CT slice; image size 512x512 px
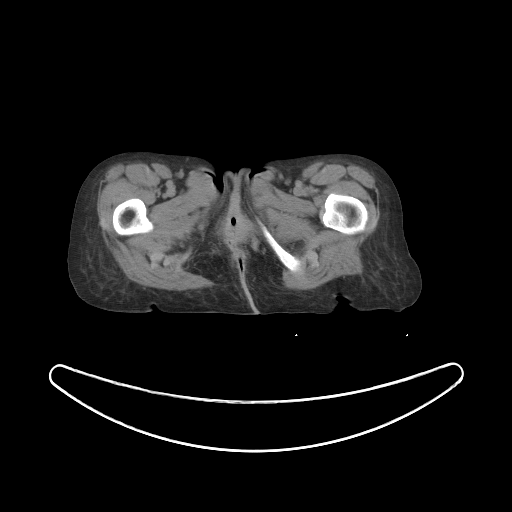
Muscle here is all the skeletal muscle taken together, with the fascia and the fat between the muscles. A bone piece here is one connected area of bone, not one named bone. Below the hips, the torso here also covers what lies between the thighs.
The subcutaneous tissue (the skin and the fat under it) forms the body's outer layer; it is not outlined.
Outlined structures:
torso: [[242,166],[249,166],[251,168],[251,173],[253,174],[258,172],[258,176],[253,192],[252,231],[250,236],[250,242],[241,265],[241,261],[236,254],[234,244],[227,229],[220,188],[222,187],[222,172],[223,170],[224,169],[236,170]]
left leg: [[335,152],[358,154],[375,161],[394,182],[402,205],[404,235],[421,273],[420,295],[411,306],[397,313],[388,309],[358,311],[350,307],[345,298],[339,297],[334,311],[327,314],[258,315],[246,289],[241,266],[251,242],[254,192],[261,164],[271,159]]
muscle 1: [[137,159],[165,164],[178,180],[183,180],[193,170],[205,175],[210,182],[214,199],[209,211],[209,222],[205,228],[204,239],[191,257],[189,266],[215,285],[187,291],[167,291],[139,285],[125,276],[106,248],[99,230],[96,210],[100,181],[111,166]], around a hole outlined by [[130,198],[139,198],[141,199],[145,204],[146,206],[146,215],[153,224],[153,229],[151,231],[149,232],[146,232],[145,233],[137,233],[136,234],[132,234],[131,235],[120,235],[115,231],[112,224],[112,214],[113,213],[113,210],[114,208],[119,203]]
muscle 2: [[319,160],[346,161],[366,169],[375,178],[379,190],[380,219],[375,232],[361,246],[364,265],[364,271],[361,275],[340,277],[312,290],[294,291],[283,283],[281,266],[274,258],[254,223],[254,198],[260,184],[269,182],[279,188],[283,188],[305,167]], around holes outlined by [[330,193],[350,195],[359,199],[364,204],[368,212],[368,220],[366,223],[366,226],[364,230],[354,234],[345,234],[335,229],[333,229],[329,227],[326,227],[323,224],[321,218],[325,209],[324,208],[324,203],[327,196]] and by [[257,220],[259,220],[267,228],[267,229],[270,232],[276,241],[284,249],[299,259],[300,261],[300,266],[299,267],[299,269],[297,271],[295,271],[294,272],[291,271],[279,260],[277,255],[270,246],[266,238],[264,236],[260,228],[260,226],[257,222]]
right leg: [[130,150],[198,156],[213,164],[216,169],[215,183],[219,188],[226,229],[235,254],[240,261],[245,289],[257,315],[170,313],[157,309],[149,312],[114,312],[89,305],[78,297],[69,280],[66,261],[70,224],[78,190],[87,174],[98,162],[113,154]]
bones 1: [[330,193],[350,195],[359,199],[364,204],[368,212],[368,220],[366,223],[366,226],[364,230],[354,234],[345,234],[335,229],[333,229],[329,227],[326,227],[323,224],[321,218],[325,209],[324,208],[324,203],[327,196]]
bones 2: [[130,198],[139,198],[141,199],[145,204],[146,206],[146,215],[153,224],[153,229],[151,231],[149,232],[146,232],[145,233],[137,233],[136,234],[132,234],[131,235],[120,235],[115,231],[112,224],[112,214],[113,213],[113,210],[114,208],[119,203]]
bones 3: [[257,220],[259,220],[267,228],[267,229],[270,232],[276,241],[284,249],[299,259],[300,261],[300,266],[299,267],[299,269],[297,271],[295,271],[294,272],[291,271],[279,260],[277,255],[270,246],[266,238],[264,236],[260,228],[260,226],[257,222]]